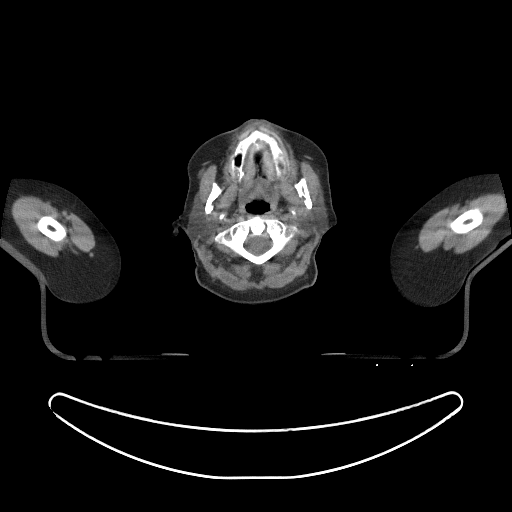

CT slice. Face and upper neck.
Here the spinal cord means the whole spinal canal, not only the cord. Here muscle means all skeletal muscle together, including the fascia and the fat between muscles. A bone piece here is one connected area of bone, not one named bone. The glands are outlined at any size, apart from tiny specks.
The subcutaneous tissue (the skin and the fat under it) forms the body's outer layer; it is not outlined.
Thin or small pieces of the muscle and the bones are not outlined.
The spinal cord is outlined by [[265,235],[268,236],[268,237],[270,239],[271,241],[271,245],[263,252],[259,254],[255,254],[251,252],[249,250],[248,250],[245,247],[245,245],[244,244],[245,243],[245,241],[249,237],[251,238],[252,237],[258,237],[259,236],[264,236]]. The bones appear in 6 outlined pieces: piece 1: [[257,214],[266,219],[276,218],[285,224],[295,226],[298,230],[298,232],[285,244],[283,248],[279,252],[261,264],[254,264],[234,252],[229,247],[223,244],[217,243],[214,239],[214,237],[219,232],[230,227],[233,224],[241,220],[248,219]]; inner edge: [[265,235],[268,236],[268,237],[270,239],[271,241],[271,245],[263,252],[259,254],[255,254],[251,252],[249,250],[248,250],[245,247],[245,245],[244,244],[245,243],[245,241],[249,237],[251,238],[252,237],[258,237],[259,236],[264,236]]; piece 2: [[254,129],[272,136],[278,145],[285,150],[289,168],[281,176],[277,176],[273,170],[267,173],[259,153],[250,159],[243,168],[244,175],[240,181],[236,176],[233,178],[231,176],[228,167],[229,156],[238,142],[246,135],[241,135],[247,130],[249,132]]; piece 3: [[475,207],[479,208],[479,209],[481,211],[483,215],[483,219],[482,220],[482,222],[479,225],[478,225],[473,229],[468,231],[466,233],[456,233],[454,232],[447,225],[449,222],[452,221],[457,216],[458,216],[466,210],[470,209],[471,208],[474,208]]; piece 4: [[43,215],[49,215],[50,216],[52,216],[55,219],[56,219],[63,226],[65,227],[66,229],[66,236],[62,240],[60,241],[54,241],[50,238],[49,238],[47,236],[46,236],[44,234],[43,234],[37,228],[36,226],[36,223],[39,219],[39,218]]; piece 5: [[302,177],[304,177],[305,178],[306,184],[307,185],[307,188],[309,192],[309,195],[312,202],[312,207],[310,209],[308,209],[306,207],[304,203],[304,198],[302,196],[299,196],[296,189],[294,187],[294,184],[296,183],[300,179],[300,178]]; piece 6: [[213,182],[216,182],[221,188],[222,191],[221,193],[212,202],[212,204],[213,205],[213,209],[212,211],[209,214],[206,214],[204,211],[204,207],[205,206],[205,203],[208,197],[208,195],[211,190],[211,188],[212,187],[212,183]]. The head and neck is outlined by [[250,118],[267,119],[299,132],[321,148],[328,162],[337,216],[317,249],[314,284],[284,300],[258,305],[231,303],[204,290],[195,278],[191,243],[184,230],[179,228],[173,238],[168,237],[172,222],[184,206],[187,163],[194,151],[212,136]] with a hole at [[252,202],[265,202],[267,204],[268,204],[268,205],[269,206],[269,207],[267,210],[266,210],[265,211],[264,211],[261,213],[254,213],[253,212],[250,212],[249,211],[248,211],[246,209],[246,205],[247,204],[249,204]]. The parotid glands appear in 2 outlined pieces: piece 1: [[195,203],[199,204],[203,212],[203,215],[205,218],[205,220],[207,222],[207,229],[203,233],[201,233],[199,235],[196,235],[195,237],[193,235],[192,235],[192,234],[190,233],[190,232],[188,231],[187,229],[188,214],[190,212],[190,210],[192,206]]; piece 2: [[319,197],[321,197],[325,202],[325,205],[327,208],[327,213],[328,214],[328,221],[327,224],[318,231],[312,229],[310,226],[310,220],[309,218],[310,217],[310,214],[312,212],[313,209],[312,208],[314,206],[314,202],[315,200]]. The left arm is outlined by [[484,172],[496,172],[499,176],[508,212],[510,227],[509,237],[502,241],[501,244],[470,270],[463,287],[448,302],[430,308],[420,307],[409,303],[396,293],[391,283],[389,275],[388,257],[390,246],[396,232],[418,208],[443,188],[463,177]]. The muscle appears in 3 outlined pieces: piece 1: [[252,123],[271,126],[296,150],[313,158],[319,170],[324,200],[319,196],[314,200],[313,206],[304,176],[293,184],[298,196],[303,198],[305,207],[308,210],[312,209],[308,218],[309,226],[318,232],[317,241],[310,256],[307,275],[279,289],[240,292],[211,281],[205,272],[194,240],[196,236],[203,234],[208,229],[208,222],[200,204],[197,202],[193,204],[193,200],[198,190],[197,172],[201,163],[221,149],[232,136]], around holes outlined by [[252,202],[265,202],[268,204],[268,209],[258,214],[263,218],[276,218],[285,224],[295,226],[298,230],[298,232],[279,252],[261,264],[254,264],[234,252],[229,247],[217,243],[214,239],[219,232],[241,220],[256,215],[256,213],[246,209],[246,205]] and by [[254,129],[272,136],[278,145],[285,150],[289,168],[281,176],[277,176],[273,170],[267,173],[259,153],[250,159],[243,168],[244,175],[240,181],[236,176],[233,178],[231,176],[228,167],[229,156],[238,142],[246,135],[241,135],[247,130],[249,132]] and by [[213,182],[216,182],[221,188],[222,191],[221,193],[212,202],[212,204],[213,205],[213,209],[212,211],[209,214],[206,214],[204,211],[204,207],[205,206],[205,203],[208,197],[208,195],[211,190],[211,188],[212,187],[212,183]]; piece 2: [[21,195],[33,195],[43,200],[50,200],[52,204],[59,209],[65,208],[80,217],[93,232],[96,242],[93,250],[94,256],[92,258],[88,258],[81,261],[70,261],[61,257],[54,258],[36,250],[27,243],[20,233],[11,214],[11,206],[13,201]], around a hole outlined by [[43,215],[49,215],[50,216],[52,216],[55,219],[56,219],[63,226],[65,227],[66,229],[66,236],[62,240],[60,241],[54,241],[50,238],[49,238],[47,236],[46,236],[44,234],[43,234],[37,228],[36,226],[36,223],[39,219],[39,218]]; piece 3: [[495,192],[500,193],[503,197],[505,204],[504,213],[501,219],[494,225],[492,231],[487,237],[472,249],[461,254],[453,254],[447,252],[425,253],[421,251],[419,248],[416,248],[417,238],[421,227],[425,221],[435,212],[458,201],[474,198],[484,193]] with a hole at [[475,207],[479,208],[479,209],[481,211],[483,215],[483,219],[482,220],[482,222],[479,225],[478,225],[473,229],[468,231],[466,233],[456,233],[454,232],[447,225],[449,222],[452,221],[457,216],[458,216],[466,210],[470,209],[471,208],[474,208]]. The right arm is outlined by [[13,177],[38,178],[65,187],[77,195],[92,210],[111,233],[120,250],[121,272],[116,286],[107,296],[98,301],[87,304],[73,304],[68,300],[58,298],[56,295],[54,295],[44,279],[40,267],[31,262],[23,253],[10,243],[0,239],[6,197]].